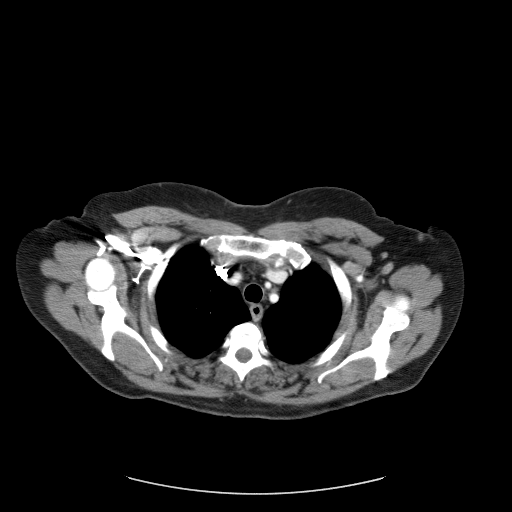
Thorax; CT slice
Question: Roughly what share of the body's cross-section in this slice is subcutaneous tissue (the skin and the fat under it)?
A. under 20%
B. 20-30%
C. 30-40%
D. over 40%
Answer: B. 20-30%
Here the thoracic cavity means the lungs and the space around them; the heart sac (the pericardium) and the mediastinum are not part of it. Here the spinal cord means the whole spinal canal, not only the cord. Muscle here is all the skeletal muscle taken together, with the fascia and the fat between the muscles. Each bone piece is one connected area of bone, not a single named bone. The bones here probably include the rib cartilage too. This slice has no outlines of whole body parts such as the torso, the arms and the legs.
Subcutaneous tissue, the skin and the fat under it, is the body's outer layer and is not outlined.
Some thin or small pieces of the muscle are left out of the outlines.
The thoracic cavity appears in 2 outlined pieces: piece 1: 195 242; 198 242; 198 245; 209 253; 209 261; 216 275; 230 286; 237 288; 250 315; 250 320; 240 322; 228 331; 218 351; 214 351; 198 358; 186 355; 169 343; 160 328; 155 297; 159 282; 169 267; 168 263; 170 259; 182 247; piece 2: 312 262; 314 262; 327 272; 335 285; 341 304; 340 320; 335 329; 331 341; 322 351; 301 363; 287 363; 274 357; 267 347; 265 343; 265 336; 261 328; 261 322; 265 312; 279 300; 282 287; 287 278; 292 274; 294 270; 303 270. The spinal cord is outlined by 242 348; 244 348; 245 349; 247 349; 251 353; 251 356; 249 358; 249 359; 248 359; 246 361; 240 361; 236 357; 236 353; 237 352; 237 351; 238 350; 239 350; 240 349; 241 349. The bones appear in 8 outlined pieces: piece 1: 93 258; 106 259; 113 266; 116 297; 127 313; 123 320; 141 335; 151 351; 159 358; 163 365; 161 371; 140 344; 120 332; 113 335; 111 342; 115 359; 110 361; 101 353; 103 338; 100 325; 103 309; 89 301; 84 281; 85 266; piece 2: 216 234; 252 234; 268 239; 294 241; 299 243; 305 249; 311 256; 312 261; 303 269; 294 269; 292 272; 292 268; 279 256; 271 259; 260 260; 251 256; 238 256; 233 258; 222 252; 215 251; 211 253; 200 246; 199 241; 202 238; piece 3: 397 294; 407 295; 411 306; 407 311; 410 318; 408 326; 394 332; 389 339; 390 352; 386 363; 393 370; 373 381; 374 361; 366 357; 349 362; 319 383; 317 378; 320 373; 337 365; 349 354; 370 345; 371 336; 382 320; 385 305; piece 4: 247 321; 251 321; 260 327; 264 336; 264 343; 266 347; 274 358; 282 361; 283 363; 277 363; 273 369; 265 365; 253 368; 244 377; 243 381; 240 382; 237 374; 230 367; 218 361; 217 357; 219 354; 220 347; 229 331; 234 326 with a hole at 242 348; 244 348; 245 349; 247 349; 251 353; 251 356; 249 358; 249 359; 248 359; 246 361; 240 361; 236 357; 236 353; 237 352; 237 351; 238 350; 239 350; 240 349; 241 349; piece 5: 327 256; 330 257; 341 267; 344 273; 346 275; 346 277; 349 282; 351 288; 351 302; 343 317; 341 319; 341 316; 342 315; 342 304; 341 303; 341 299; 338 290; 336 287; 336 285; 332 277; 328 272; 329 270; 329 264; 326 258; piece 6: 175 242; 177 242; 179 244; 180 248; 178 249; 169 259; 167 263; 168 264; 168 267; 163 273; 158 282; 154 295; 155 298; 155 307; 154 307; 154 305; 148 298; 147 281; 155 266; 160 261; 160 259; 165 250; 170 245; piece 7: 345 330; 348 330; 349 331; 342 345; 340 347; 338 351; 332 357; 330 362; 329 363; 327 363; 326 362; 325 363; 323 363; 320 365; 317 365; 316 366; 310 366; 309 365; 309 363; 313 361; 333 340; 334 340; 343 331; piece 8: 150 324; 156 327; 158 327; 160 329; 162 334; 164 336; 168 343; 171 346; 174 347; 177 350; 178 350; 174 350; 172 354; 168 354; 163 350; 162 350; 155 343; 151 336; 151 334; 149 330; 149 325. The mediastinum is outlined by 210 253; 222 253; 233 259; 238 257; 251 257; 260 261; 271 260; 279 257; 286 265; 291 268; 291 274; 284 281; 280 290; 278 300; 264 312; 260 322; 260 326; 251 320; 249 309; 242 299; 238 288; 230 285; 217 275; 210 261. The muscle is outlined by 147 205; 227 220; 250 231; 276 221; 322 216; 358 222; 384 237; 373 250; 373 271; 405 261; 420 262; 434 273; 441 273; 443 319; 439 334; 423 355; 392 372; 387 363; 390 339; 409 326; 412 306; 407 294; 397 293; 384 305; 369 345; 317 375; 320 384; 353 361; 373 361; 373 382; 337 399; 294 406; 258 402; 239 394; 219 399; 141 388; 112 363; 116 359; 114 335; 120 333; 134 340; 159 372; 164 365; 142 335; 125 322; 128 313; 117 297; 114 266; 106 258; 93 257; 83 269; 86 297; 102 309; 99 351; 65 329; 47 309; 42 292; 48 279; 39 261; 51 254; 58 241; 100 240; 120 227; 112 213; inner edge: 216 234; 294 241; 326 272; 327 256; 341 267; 351 302; 332 339; 349 331; 329 363; 310 366; 316 355; 273 369; 261 365; 240 382; 217 360; 218 351; 193 358; 155 343; 149 325; 160 325; 147 292; 152 271; 173 243; 181 248.